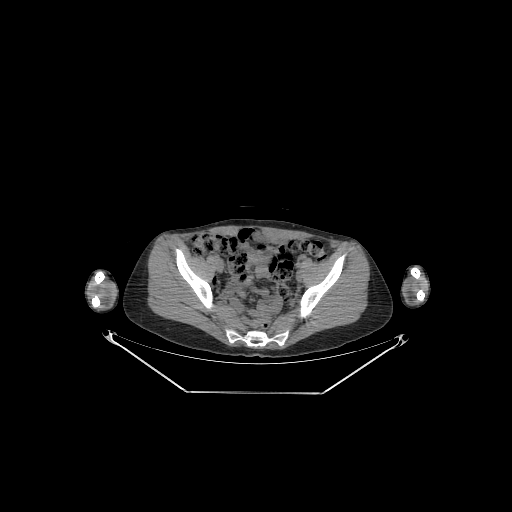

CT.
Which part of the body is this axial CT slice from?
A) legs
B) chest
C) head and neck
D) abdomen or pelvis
Answer: D) abdomen or pelvis
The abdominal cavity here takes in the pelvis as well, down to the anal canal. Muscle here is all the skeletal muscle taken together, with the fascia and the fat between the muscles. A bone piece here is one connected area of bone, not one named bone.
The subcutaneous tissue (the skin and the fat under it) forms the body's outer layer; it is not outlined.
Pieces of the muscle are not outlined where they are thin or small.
{"right_arm":[[[97,268],[105,268],[109,270],[115,278],[119,288],[119,298],[118,299],[117,305],[113,310],[103,314],[101,314],[100,313],[96,313],[89,309],[87,306],[86,301],[84,298],[84,286],[85,285],[86,280],[90,273],[93,270]]],"muscle":[[[226,225],[261,225],[299,230],[355,242],[370,267],[365,310],[350,324],[314,333],[283,349],[252,348],[271,342],[283,346],[290,330],[269,335],[266,329],[276,317],[298,304],[298,317],[309,316],[340,277],[347,253],[333,261],[320,281],[306,288],[299,266],[306,259],[320,262],[327,258],[333,251],[328,242],[313,237],[288,238],[255,227],[246,226],[240,228],[233,235],[196,233],[186,241],[194,255],[206,259],[216,254],[223,259],[222,272],[215,270],[210,284],[191,268],[179,247],[174,248],[174,254],[179,274],[207,310],[213,308],[214,300],[235,309],[249,329],[241,333],[226,327],[224,333],[231,344],[241,341],[247,347],[228,346],[198,328],[154,313],[147,304],[147,261],[157,238]],[[105,274],[114,284],[116,290],[116,296],[114,302],[109,308],[100,310],[97,309],[97,308],[101,305],[101,300],[99,296],[95,293],[91,297],[90,302],[87,296],[87,288],[89,282],[93,276],[94,283],[96,285],[98,285],[104,280],[105,278]],[[420,269],[423,272],[424,276],[427,281],[428,290],[426,296],[425,292],[421,288],[419,288],[415,293],[415,297],[416,299],[420,302],[417,304],[410,304],[406,301],[404,296],[404,285],[405,284],[405,280],[409,272],[415,279],[419,279],[421,275]]],"torso":[[[229,218],[284,220],[357,239],[375,261],[389,288],[393,300],[393,313],[390,320],[382,328],[370,335],[346,343],[338,348],[282,358],[228,356],[194,350],[166,341],[138,327],[125,315],[122,299],[124,288],[131,271],[150,240],[164,230],[199,226]]],"bones":[[[344,253],[346,253],[346,255],[344,259],[341,273],[337,280],[324,293],[316,305],[312,309],[309,315],[304,318],[299,317],[299,309],[300,308],[299,301],[304,291],[308,287],[312,285],[317,284],[320,282],[328,273],[334,261],[339,256]],[[175,248],[179,248],[183,252],[185,259],[190,268],[197,275],[203,279],[206,280],[210,285],[212,290],[212,293],[213,294],[213,301],[212,302],[213,303],[213,306],[210,310],[207,309],[204,306],[192,288],[180,274],[176,264],[176,255],[175,254]],[[226,328],[234,329],[241,334],[244,334],[249,330],[261,330],[266,332],[269,336],[272,336],[283,332],[286,329],[289,330],[289,333],[283,345],[281,346],[276,342],[271,341],[264,346],[248,347],[246,343],[241,340],[237,340],[231,343],[226,336]],[[98,270],[101,270],[104,273],[104,278],[103,279],[103,280],[100,283],[99,283],[98,284],[96,284],[95,283],[95,279],[94,278],[94,275],[95,274],[95,273]],[[95,294],[96,294],[98,296],[98,297],[99,298],[99,299],[100,300],[100,305],[98,307],[97,307],[96,308],[95,308],[94,307],[93,307],[92,306],[92,305],[91,304],[91,300],[92,299],[92,297]],[[414,266],[416,266],[419,269],[419,270],[420,271],[420,275],[419,276],[419,278],[415,278],[411,274],[411,273],[410,272],[410,269],[412,267],[413,267]],[[419,289],[421,289],[424,292],[424,294],[425,295],[425,296],[424,297],[424,299],[422,301],[420,301],[419,300],[418,300],[417,299],[417,298],[416,297],[416,293],[417,292],[417,291]]],"left_arm":[[[413,263],[421,264],[425,268],[429,276],[430,284],[431,285],[431,292],[430,293],[430,295],[429,296],[428,300],[422,306],[415,309],[410,309],[404,306],[401,302],[401,300],[400,299],[400,286],[402,282],[403,274],[406,267],[408,265],[412,264]]],"abdominal_cavity":[[[246,227],[288,239],[325,241],[332,249],[324,259],[306,258],[298,266],[305,288],[298,303],[276,316],[265,331],[250,329],[235,308],[214,299],[211,284],[215,271],[223,272],[224,259],[216,253],[206,258],[194,254],[187,244],[196,234],[233,236]]]}